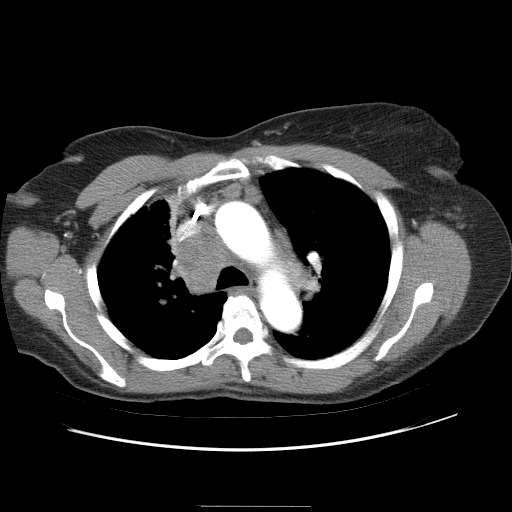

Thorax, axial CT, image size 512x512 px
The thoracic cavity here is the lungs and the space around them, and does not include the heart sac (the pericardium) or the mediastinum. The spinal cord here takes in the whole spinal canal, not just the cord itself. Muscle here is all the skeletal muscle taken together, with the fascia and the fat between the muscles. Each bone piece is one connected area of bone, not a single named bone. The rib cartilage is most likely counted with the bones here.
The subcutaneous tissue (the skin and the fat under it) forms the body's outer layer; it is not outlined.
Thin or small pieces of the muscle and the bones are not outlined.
The thoracic cavity appears in 2 outlined pieces: piece 1: (302, 167) (325, 172) (354, 185) (365, 193) (375, 202) (380, 212) (390, 244) (386, 285) (372, 319) (350, 345) (331, 355) (316, 359) (294, 356) (273, 338) (275, 331) (297, 336) (302, 328) (303, 263) (294, 249) (287, 228) (268, 204) (260, 181) (261, 176) (266, 173); piece 2: (170, 192) (176, 192) (179, 195) (175, 215) (175, 247) (188, 291) (196, 296) (224, 292) (227, 297) (222, 305) (215, 331) (203, 345) (179, 358) (160, 358) (151, 356) (134, 344) (110, 319) (98, 283) (97, 268) (106, 247) (120, 227) (148, 202). The muscle appears in 2 outlined pieces: piece 1: (258, 143) (314, 143) (359, 154) (403, 183) (403, 188) (394, 189) (391, 194) (409, 232) (416, 232) (422, 221) (434, 219) (448, 224) (465, 240) (471, 277) (456, 318) (435, 339) (397, 366) (332, 393) (225, 388) (121, 392) (96, 377) (72, 348) (34, 322) (16, 303) (4, 270) (8, 234) (16, 225) (55, 233) (69, 244) (70, 252) (80, 262) (92, 241) (92, 230) (74, 203) (79, 192) (104, 168) (137, 154) (170, 158) (205, 151) (228, 154) with holes at (256, 155) (274, 155) (322, 172) (320, 164) (332, 165) (350, 174) (374, 202) (375, 191) (391, 202) (403, 258) (378, 333) (355, 358) (328, 369) (288, 364) (282, 355) (292, 355) (276, 347) (248, 362) (249, 381) (242, 378) (239, 361) (226, 353) (210, 365) (164, 371) (142, 365) (135, 356) (147, 352) (132, 342) (134, 352) (126, 350) (99, 323) (87, 288) (88, 265) (98, 267) (117, 218) (145, 190) (158, 186) (149, 202) (175, 192) (221, 160) and at (46, 289) (62, 294) (65, 302) (66, 320) (71, 330) (81, 340) (92, 346) (125, 379) (126, 384) (124, 387) (120, 387) (98, 376) (97, 374) (101, 369) (99, 360) (91, 350) (76, 342) (68, 334) (63, 325) (62, 314) (57, 309) (50, 309) (46, 305) (44, 299) and at (423, 282) (430, 282) (433, 285) (433, 293) (430, 301) (422, 303) (416, 308) (411, 322) (404, 334) (391, 346) (387, 353) (381, 359) (375, 361) (373, 358) (377, 354) (378, 350) (382, 343) (386, 339) (395, 335) (406, 322) (412, 308) (412, 303) (413, 302) (415, 290); piece 2: (376, 313) (377, 314) (377, 315) (376, 316) (376, 319) (374, 321) (374, 322) (371, 325) (371, 326) (362, 335) (362, 334) (364, 332) (364, 331) (366, 329) (366, 328) (368, 326) (368, 325) (371, 322) (371, 321) (373, 319) (373, 318) (374, 317) (374, 316) (376, 314). The mediastinum is outlined by (257, 169) (272, 170) (260, 176) (261, 189) (274, 215) (286, 228) (293, 249) (302, 263) (303, 319) (297, 335) (275, 330) (272, 337) (256, 304) (245, 293) (228, 296) (224, 291) (198, 295) (191, 293) (177, 256) (176, 215) (180, 196) (189, 196) (217, 182) (247, 179). The torso is outlined by (368, 101) (416, 105) (434, 115) (460, 143) (465, 163) (459, 176) (489, 199) (508, 230) (508, 286) (466, 342) (369, 398) (329, 405) (229, 397) (116, 400) (78, 389) (53, 367) (18, 351) (0, 273) (6, 198) (57, 161) (68, 142) (123, 125) (223, 136) (291, 111). The bones appear in 8 outlined pieces: piece 1: (238, 294) (245, 294) (253, 301) (261, 320) (280, 347) (276, 347) (272, 354) (263, 353) (248, 362) (249, 381) (242, 378) (239, 361) (226, 353) (217, 356) (210, 365) (199, 362) (164, 371) (152, 370) (136, 360) (138, 354) (179, 359) (196, 351) (214, 335) (227, 298); inner edge: (241, 328) (245, 328) (246, 329) (247, 329) (250, 332) (250, 333) (251, 334) (251, 336) (252, 337) (252, 338) (250, 341) (248, 341) (245, 343) (240, 343) (239, 342) (238, 342) (237, 341) (236, 341) (234, 339) (234, 335) (235, 334) (235, 333) (239, 329) (240, 329); piece 2: (375, 191) (382, 192) (391, 202) (397, 220) (398, 239) (403, 245) (401, 274) (394, 295) (380, 319) (381, 327) (378, 333) (361, 353) (339, 367) (311, 369) (286, 363) (282, 355) (316, 360) (340, 352) (359, 339) (377, 319) (377, 310) (388, 280) (392, 242) (375, 201); piece 3: (256, 155) (274, 155) (299, 163) (303, 166) (301, 167) (286, 167) (283, 169) (273, 170) (261, 164) (249, 164) (248, 167) (251, 174) (247, 178) (217, 181) (185, 196) (180, 195) (176, 191) (179, 185) (189, 179) (204, 174) (221, 160) (231, 158) (246, 158) (250, 160); piece 4: (46, 289) (62, 294) (65, 302) (66, 320) (71, 330) (81, 340) (92, 346) (125, 379) (126, 384) (124, 387) (120, 387) (98, 376) (97, 374) (101, 369) (99, 360) (91, 350) (76, 342) (68, 334) (63, 325) (62, 314) (57, 309) (50, 309) (46, 305) (44, 299); piece 5: (93, 262) (96, 263) (97, 283) (99, 287) (100, 294) (104, 302) (104, 305) (101, 307) (100, 311) (131, 342) (130, 344) (134, 350) (134, 352) (132, 353) (126, 350) (114, 341) (102, 328) (97, 319) (96, 314) (98, 311) (91, 299) (86, 282) (86, 269) (88, 265); piece 6: (423, 282) (430, 282) (433, 285) (433, 293) (430, 301) (422, 303) (416, 308) (411, 322) (404, 334) (391, 346) (387, 353) (381, 359) (375, 361) (373, 358) (377, 354) (378, 350) (382, 343) (386, 339) (395, 335) (406, 322) (412, 308) (412, 303) (413, 302) (415, 290); piece 7: (154, 186) (158, 186) (158, 189) (149, 198) (149, 199) (144, 205) (143, 205) (134, 214) (131, 215) (119, 227) (119, 228) (113, 235) (105, 247) (104, 246) (105, 245) (105, 241) (111, 230) (111, 228) (113, 226) (114, 223) (120, 214) (138, 195) (139, 195) (145, 190); piece 8: (322, 163) (325, 163) (326, 164) (332, 165) (350, 174) (359, 183) (360, 183) (362, 185) (362, 186) (367, 192) (367, 194) (365, 192) (361, 190) (358, 187) (357, 187) (354, 184) (348, 181) (346, 181) (343, 179) (334, 177) (332, 175) (324, 171) (320, 167) (320, 164). The spinal cord is outlined by (241, 328) (245, 328) (246, 329) (247, 329) (250, 332) (250, 333) (251, 334) (251, 336) (252, 337) (252, 338) (250, 341) (248, 341) (245, 343) (240, 343) (239, 342) (238, 342) (237, 341) (236, 341) (234, 339) (234, 335) (235, 334) (235, 333) (239, 329) (240, 329).